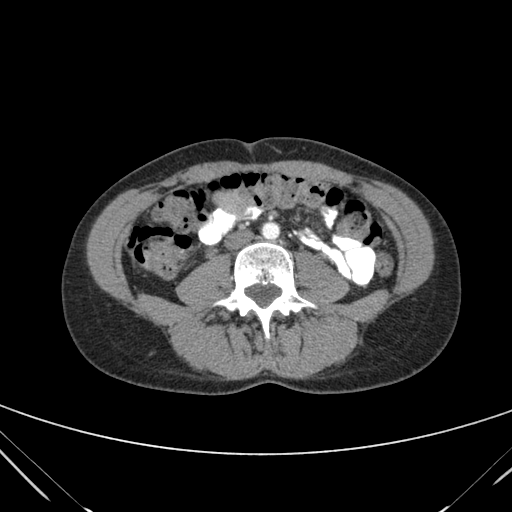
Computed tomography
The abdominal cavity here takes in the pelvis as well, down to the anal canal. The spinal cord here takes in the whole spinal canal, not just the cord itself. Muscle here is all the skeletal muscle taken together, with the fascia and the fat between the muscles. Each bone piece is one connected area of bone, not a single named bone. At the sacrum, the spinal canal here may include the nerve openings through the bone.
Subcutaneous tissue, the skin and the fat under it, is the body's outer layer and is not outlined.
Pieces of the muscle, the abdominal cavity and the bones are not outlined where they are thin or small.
Outlines (x, y in pixels):
bones: 267 341; 274 317; 279 314; 287 317; 304 307; 318 307; 298 294; 294 284; 291 253; 278 244; 254 242; 244 246; 236 255; 233 268; 234 288; 228 296; 215 301; 212 306; 223 306; 232 312; 236 311; 241 317; 253 315; 260 322, around a hole outlined by 261 307; 266 306; 268 304; 269 304; 276 297; 277 297; 280 294; 281 291; 278 287; 272 284; 267 284; 266 285; 262 285; 261 284; 255 284; 245 289; 245 293; 249 297; 252 298; 258 304; 258 305; 259 305
torso: 199 395; 236 393; 263 383; 314 394; 351 393; 403 381; 429 366; 450 341; 462 300; 458 251; 441 212; 419 189; 385 167; 342 147; 297 136; 190 142; 113 183; 90 205; 71 237; 60 281; 67 331; 84 359; 110 377; 145 388
spinal cord: 261 307; 266 306; 268 304; 269 304; 276 297; 277 297; 280 294; 281 291; 278 287; 272 284; 267 284; 266 285; 262 285; 261 284; 255 284; 245 289; 245 293; 249 297; 252 298; 258 304; 258 305; 259 305
abdominal cavity: 181 304; 175 289; 197 266; 229 253; 232 272; 236 253; 254 241; 278 243; 292 254; 301 247; 318 253; 349 286; 339 302; 376 289; 389 291; 397 267; 395 244; 363 197; 303 174; 248 169; 183 185; 134 220; 122 248; 135 295
muscle: 225 381; 251 378; 264 371; 293 379; 315 378; 349 357; 366 326; 390 305; 413 293; 431 273; 435 239; 418 205; 391 184; 308 160; 208 161; 128 189; 110 201; 86 240; 86 261; 94 281; 118 303; 161 327; 175 353; 194 371 with a hole at 267 341; 274 317; 318 307; 294 284; 292 254; 301 247; 346 281; 339 302; 390 290; 396 249; 377 210; 345 187; 293 172; 248 169; 166 192; 134 220; 122 248; 133 293; 184 304; 177 285; 229 253; 235 285; 212 306; 253 315